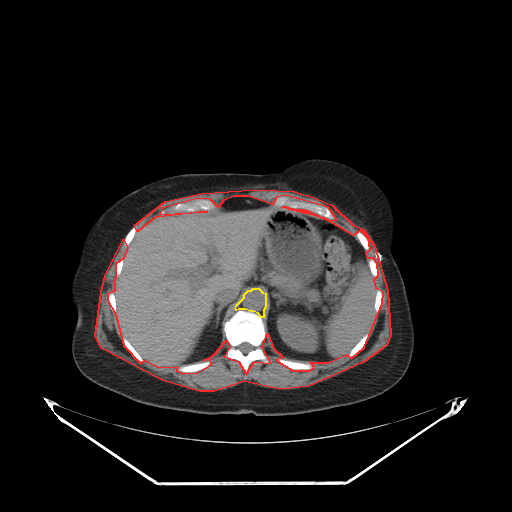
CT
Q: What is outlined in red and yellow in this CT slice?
A: red: muscle; yellow: mediastinum.
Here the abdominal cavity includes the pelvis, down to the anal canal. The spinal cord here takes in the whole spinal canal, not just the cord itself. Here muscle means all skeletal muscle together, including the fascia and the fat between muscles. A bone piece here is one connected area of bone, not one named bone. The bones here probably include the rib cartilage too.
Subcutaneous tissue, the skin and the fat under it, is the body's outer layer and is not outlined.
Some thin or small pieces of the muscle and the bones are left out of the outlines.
{"muscle":[[[255,189],[294,191],[316,198],[332,205],[352,224],[363,229],[374,246],[387,290],[390,335],[386,345],[363,362],[308,386],[279,389],[244,381],[214,391],[199,391],[162,380],[101,348],[95,335],[101,292],[105,275],[123,239],[127,247],[123,258],[115,264],[114,291],[107,294],[107,300],[115,314],[123,345],[140,363],[145,360],[157,366],[177,367],[176,370],[182,373],[197,372],[211,364],[210,359],[203,360],[214,354],[226,340],[229,346],[224,356],[238,361],[246,374],[254,361],[271,363],[262,347],[267,333],[273,348],[283,357],[276,360],[292,370],[310,370],[314,367],[310,362],[328,362],[346,354],[351,358],[364,347],[382,303],[383,292],[376,288],[374,279],[378,275],[377,263],[373,258],[367,258],[366,252],[370,249],[368,238],[360,230],[353,235],[328,220],[336,219],[328,207],[285,195],[276,197],[272,204],[248,196],[234,196],[223,200],[218,207],[210,199],[197,198],[162,208],[159,214],[207,211],[155,217],[137,231],[134,225],[165,201],[201,193]],[[283,206],[285,206],[288,208],[291,208],[292,209],[303,209],[304,210],[307,210],[308,211],[309,211],[312,213],[314,213],[323,218],[325,218],[326,219],[327,219],[325,219],[324,218],[322,218],[319,216],[317,216],[316,215],[314,215],[313,214],[310,214],[309,213],[304,213],[303,212],[301,212],[300,211],[297,211],[296,210],[294,210],[293,209],[290,209],[289,208],[287,208],[286,207],[282,207]]],"mediastinum":[[[253,288],[258,288],[262,292],[265,293],[265,307],[263,310],[263,314],[264,315],[263,317],[261,317],[258,313],[253,311],[250,311],[245,309],[238,309],[236,310],[235,308],[237,304],[244,297],[244,294],[248,290],[251,290]]],"torso":[[[310,158],[344,163],[369,176],[392,206],[393,255],[404,282],[414,327],[411,360],[395,385],[362,402],[296,415],[203,414],[133,401],[94,383],[79,371],[71,352],[77,318],[70,299],[71,285],[84,237],[111,204],[148,183],[173,175],[267,174]]],"abdominal_cavity":[[[234,197],[319,217],[359,242],[375,282],[375,313],[367,333],[348,353],[328,361],[281,355],[266,330],[266,293],[258,287],[243,294],[223,323],[226,339],[201,361],[157,365],[144,359],[123,336],[116,319],[114,292],[136,232],[152,219],[212,211]]],"spinal_cord":[[[243,342],[247,342],[248,343],[249,343],[253,347],[253,348],[250,351],[249,351],[246,354],[244,354],[237,347],[241,343],[242,343]]],"bones":[{"outer":[[238,310],[245,310],[253,312],[258,314],[262,318],[265,324],[266,336],[261,343],[261,347],[264,353],[271,361],[270,363],[264,363],[261,360],[254,360],[248,366],[246,373],[241,363],[238,360],[227,358],[225,356],[230,345],[225,335],[224,323]],"hole":[[243,342],[247,342],[248,343],[249,343],[253,347],[253,348],[250,351],[249,351],[246,354],[244,354],[237,347],[241,343],[242,343]]},[[280,196],[285,196],[291,200],[302,201],[303,202],[313,203],[317,205],[324,206],[328,208],[332,212],[335,217],[335,219],[328,219],[314,212],[303,208],[292,208],[285,205],[282,206],[274,205],[273,204],[273,201],[276,198]],[[197,199],[207,199],[214,202],[217,205],[217,207],[213,209],[209,209],[208,210],[206,209],[198,209],[194,211],[178,210],[177,211],[170,211],[167,212],[165,214],[160,214],[160,211],[162,209],[165,209],[174,204],[180,202],[191,202]],[[277,358],[284,358],[285,359],[288,359],[289,360],[293,360],[294,361],[301,361],[302,362],[309,362],[310,363],[311,363],[313,365],[313,367],[310,369],[292,369],[291,368],[289,368],[288,367],[287,367],[286,366],[281,364],[277,360]],[[207,360],[210,360],[211,361],[210,364],[206,367],[202,369],[200,369],[197,371],[193,371],[192,372],[182,372],[177,370],[179,366],[181,366],[182,365],[186,365],[187,364],[191,364],[192,363],[196,363],[197,362],[201,362],[202,361],[206,361]],[[368,333],[369,334],[369,337],[368,338],[368,339],[367,340],[367,341],[366,342],[366,343],[363,346],[363,347],[357,353],[356,353],[353,356],[352,356],[351,357],[350,357],[349,356],[349,352],[352,349],[352,348],[366,334],[367,334]],[[123,337],[124,337],[129,342],[129,343],[130,344],[131,344],[131,345],[135,349],[135,350],[143,358],[143,362],[140,362],[137,359],[136,359],[127,350],[127,349],[126,348],[126,347],[124,345],[124,344],[123,343],[123,341],[122,340],[122,338]],[[356,231],[360,231],[367,238],[367,239],[368,240],[368,242],[369,243],[369,249],[368,250],[367,250],[366,251],[364,249],[364,248],[362,246],[362,245],[360,243],[360,242],[356,238],[356,236],[355,235],[356,234]],[[133,226],[135,226],[136,227],[136,231],[135,232],[135,234],[133,236],[133,238],[131,240],[131,241],[129,243],[129,244],[127,246],[126,246],[124,244],[124,238],[125,237],[125,236],[126,235],[126,234],[129,231],[129,230]],[[378,289],[380,289],[381,290],[381,291],[382,292],[382,295],[381,296],[381,303],[380,304],[380,306],[379,307],[379,310],[377,312],[375,312],[375,309],[374,308],[374,305],[375,304],[375,297],[376,296],[376,291]],[[110,292],[112,292],[114,294],[114,295],[115,296],[115,308],[116,309],[115,310],[115,313],[113,313],[113,312],[112,311],[112,310],[111,309],[111,308],[110,307],[110,305],[109,304],[109,301],[108,300],[108,294]]]}